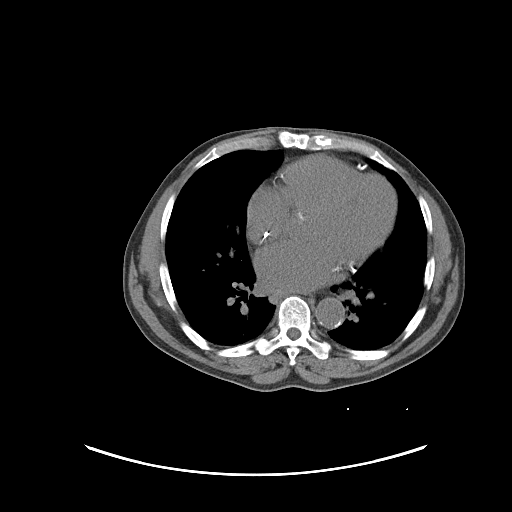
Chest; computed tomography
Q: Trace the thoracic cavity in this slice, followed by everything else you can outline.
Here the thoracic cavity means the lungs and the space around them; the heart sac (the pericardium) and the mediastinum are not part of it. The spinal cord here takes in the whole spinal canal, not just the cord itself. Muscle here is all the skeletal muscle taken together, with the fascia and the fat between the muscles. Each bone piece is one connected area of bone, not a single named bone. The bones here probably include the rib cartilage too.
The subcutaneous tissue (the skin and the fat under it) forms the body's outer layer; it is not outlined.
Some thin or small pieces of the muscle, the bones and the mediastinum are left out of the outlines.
A: Outlines:
thoracic cavity 1: 245,149 279,149 283,153 280,164 252,192 246,206 245,223 245,239 250,261 257,279 265,285 265,295 275,308 276,320 259,336 240,344 223,347 210,343 188,323 172,285 165,240 176,198 192,174 225,154
thoracic cavity 2: 370,159 396,172 415,196 426,229 427,259 422,280 424,288 418,307 400,334 382,348 354,349 332,343 324,337 346,319 346,308 342,303 339,286 350,281 374,254 384,248 394,231 398,213 396,189 370,164
spinal cord: 290,328 296,328 297,329 298,329 299,330 299,331 300,332 300,335 297,338 296,338 295,339 292,339 291,338 290,338 288,336 288,335 287,334 287,331
mediastinum 1: 337,285 339,285 338,286 338,293 341,298 341,303 343,305 343,307 345,308 345,319 340,325 335,328 330,329 323,336 315,330 311,321 312,318 311,317 310,307 308,303 300,296 312,295 322,291 325,291
mediastinum 2: 266,285 274,289 276,291 278,291 279,292 283,292 284,293 288,293 289,294 293,294 291,294 290,295 288,295 284,297 279,302 278,304 278,306 277,307 277,309 276,310 276,308 275,306 269,301 266,295
mediastinum 3: 282,150 299,150 300,151 331,151 311,151 310,152 308,152 307,153 302,153 301,154 298,154 297,155 294,155 291,157 289,157 288,158 287,158 286,159 285,159 283,161 283,159 284,158 284,153
mediastinum 4: 333,152 343,152 344,153 354,153 357,155 360,155 361,156 363,156 364,157 366,157 368,158 369,159 367,160 369,164 365,161 357,157 355,157 352,155 350,155 346,153 340,153 339,152
bones 1: 291,295 307,303 314,330 332,344 354,350 388,349 390,352 378,359 356,360 334,346 327,358 319,359 301,347 292,366 284,346 266,355 255,350 244,356 218,355 218,349 249,342 265,333 276,323 280,302 with a hole at 290,328 296,328 297,329 298,329 299,330 299,331 300,332 300,335 297,338 296,338 295,339 292,339 291,338 290,338 288,336 288,335 287,334 287,331
bones 2: 281,130 285,130 293,133 306,133 309,135 324,134 329,137 337,137 341,139 363,143 377,150 397,170 397,172 359,152 348,149 310,150 300,149 296,147 286,148 283,147 279,144 276,139 277,133
bones 3: 258,136 264,136 268,138 271,143 271,147 270,148 268,149 245,148 244,149 233,150 209,161 196,170 194,171 193,170 194,165 213,147 216,147 224,143 227,143 235,140 239,140 243,138 250,138
bones 4: 161,262 164,262 166,263 167,265 167,268 168,269 168,273 169,274 171,285 172,286 172,288 173,289 173,291 178,304 176,312 172,310 165,296 165,294 162,287 161,279 160,278 160,274 159,273 159,265
bones 5: 180,321 184,321 186,322 196,332 197,332 202,337 203,337 209,343 209,345 212,348 212,349 211,350 205,350 204,349 202,349 197,346 191,340 190,340 190,339 183,332 183,331 181,329 179,325 179,322
bones 6: 424,305 426,306 426,311 421,321 419,323 417,327 414,330 414,331 405,340 402,341 401,340 401,337 400,336 401,333 403,331 403,330 405,328 409,321 412,318 412,317 414,315 418,308
bones 7: 172,193 175,193 176,194 176,197 175,198 175,200 171,210 171,213 169,217 169,220 167,224 167,229 165,234 165,239 164,241 162,241 160,238 160,226 161,225 161,218 162,217 163,210 165,207 167,200
bones 8: 419,194 421,194 425,199 428,205 429,210 430,211 430,214 431,215 431,223 432,224 432,232 431,234 427,233 427,229 425,225 424,218 423,217 423,215 421,211 421,208 420,207 419,202 417,199 417,196
bones 9: 431,256 433,256 434,258 434,262 435,263 435,265 434,266 434,273 433,274 433,279 432,280 430,288 428,290 427,290 424,286 424,284 423,283 423,280 424,279 424,273 425,272 426,263 427,262 428,258
torso: 274,125 319,127 378,138 413,162 450,206 465,243 463,301 447,335 419,359 377,379 330,391 311,391 298,387 256,391 201,372 166,354 153,345 134,322 123,297 124,251 134,226 162,180 192,149 214,136
pericardium: 311,152 346,154 370,165 383,175 395,189 397,195 397,213 393,231 383,248 374,253 354,273 350,280 343,281 340,284 312,294 300,295 276,290 265,284 256,274 246,239 247,206 253,192 282,162 294,156
muscle: 265,130 278,130 275,139 281,147 299,149 271,148 270,139 264,135 243,137 213,146 193,165 193,172 177,195 172,192 166,200 159,226 166,262 159,263 158,273 171,310 176,313 179,307 187,321 178,322 182,332 202,350 211,351 213,348 210,344 222,347 215,353 226,358 244,357 255,351 266,356 284,347 288,364 292,367 301,348 307,349 319,360 327,359 334,347 352,360 382,359 391,352 384,347 399,336 402,342 405,341 418,327 427,311 425,304 419,306 420,301 424,289 428,291 431,288 436,265 434,256 427,256 427,234 433,232 429,205 421,193 416,197 398,170 377,149 356,140 324,133 309,134 320,131 361,139 378,147 396,160 434,198 449,224 459,263 457,297 437,333 421,348 365,375 312,383 291,371 276,382 261,384 214,368 176,350 158,337 136,310 128,289 131,254 164,188 194,157 215,143